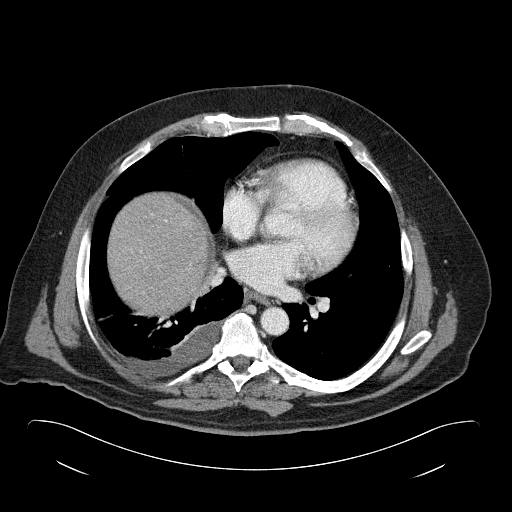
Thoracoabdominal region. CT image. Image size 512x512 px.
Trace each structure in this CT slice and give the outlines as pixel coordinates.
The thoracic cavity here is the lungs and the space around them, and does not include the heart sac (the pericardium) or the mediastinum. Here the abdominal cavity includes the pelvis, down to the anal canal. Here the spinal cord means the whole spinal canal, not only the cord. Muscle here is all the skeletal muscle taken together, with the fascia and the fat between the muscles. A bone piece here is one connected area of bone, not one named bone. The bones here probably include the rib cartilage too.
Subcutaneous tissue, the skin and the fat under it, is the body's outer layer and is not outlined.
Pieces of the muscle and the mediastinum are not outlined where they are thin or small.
Outlines:
torso: 278 83; 327 89; 371 110; 419 152; 454 198; 482 247; 492 287; 485 325; 463 375; 408 405; 365 421; 331 429; 258 436; 207 433; 142 420; 45 382; 1 383; 0 336; 11 283; 44 204; 78 147; 114 119; 161 98; 210 87
muscle: 215 111; 219 112; 215 114; 205 113; 195 121; 192 124; 193 133; 169 137; 155 146; 153 140; 146 139; 128 154; 116 169; 118 176; 106 191; 107 196; 97 210; 92 230; 89 226; 83 230; 76 256; 75 287; 79 312; 94 345; 99 350; 101 346; 90 323; 90 307; 95 325; 109 350; 130 372; 150 380; 172 378; 160 385; 171 387; 189 383; 194 375; 215 367; 231 380; 236 393; 248 380; 270 370; 276 374; 270 373; 267 379; 275 385; 282 379; 291 386; 324 394; 342 393; 361 384; 383 365; 396 348; 406 325; 405 312; 394 322; 404 292; 404 274; 406 277; 412 274; 411 242; 406 229; 399 226; 391 197; 392 188; 367 150; 360 148; 345 133; 309 114; 275 114; 303 111; 332 122; 366 146; 375 162; 387 174; 452 286; 458 312; 455 338; 416 376; 373 398; 337 405; 297 405; 273 417; 244 405; 204 411; 163 407; 136 395; 78 377; 52 360; 27 349; 24 337; 42 290; 105 170; 119 156; 155 131; 183 118 with a hole at 421 330; 429 330; 431 332; 431 337; 425 343; 424 343; 421 346; 420 346; 417 349; 416 349; 414 351; 413 351; 410 353; 408 353; 407 354; 401 354; 400 353; 400 350; 402 348; 402 347; 414 335; 415 335; 418 332; 419 332
mediastinum 1: 221 227; 224 264; 240 283; 258 294; 273 296; 281 300; 308 282; 304 286; 308 295; 306 297; 284 302; 281 305; 289 318; 289 327; 271 342; 274 354; 262 340; 252 317; 244 311; 237 310; 242 305; 243 288; 218 266; 213 235
mediastinum 2: 258 131; 292 133; 299 136; 321 134; 331 137; 336 140; 334 143; 345 170; 331 157; 322 153; 312 150; 288 150; 266 157; 248 167; 229 185; 224 193; 224 186; 228 178; 233 178; 241 172; 265 148; 279 144; 279 141; 273 135
bones 1: 236 311; 251 317; 274 355; 325 381; 360 368; 403 314; 406 320; 389 357; 351 389; 324 393; 282 378; 275 384; 268 377; 277 373; 270 369; 236 392; 232 380; 215 366; 194 374; 189 382; 161 386; 205 360; 220 340; 224 320, around a hole outlined by 238 355; 242 355; 243 356; 245 356; 247 358; 248 358; 250 361; 250 363; 249 364; 249 365; 246 368; 246 369; 245 370; 244 370; 243 371; 241 371; 240 372; 237 371; 235 369; 235 368; 232 364; 232 359; 234 357; 235 357
bones 2: 220 112; 243 117; 281 116; 284 113; 306 114; 323 121; 345 134; 360 149; 366 150; 390 186; 391 194; 354 157; 342 141; 327 133; 299 135; 292 132; 248 130; 226 136; 195 134; 193 125; 195 122; 198 122; 205 114; 215 115
bones 3: 87 227; 89 227; 91 229; 90 248; 89 249; 89 264; 88 265; 88 285; 90 296; 90 306; 88 313; 89 318; 88 319; 92 331; 99 343; 100 349; 92 341; 85 327; 80 312; 77 297; 77 288; 76 287; 77 256; 83 232
bones 4: 146 140; 151 140; 153 141; 154 143; 154 146; 153 148; 144 156; 143 156; 137 161; 133 163; 125 170; 124 170; 119 175; 118 175; 117 174; 117 169; 119 167; 122 161; 128 155; 129 155; 132 152; 133 152; 142 143; 143 143
bones 5: 400 228; 403 228; 405 229; 405 231; 407 234; 407 236; 409 239; 410 245; 411 246; 411 255; 412 256; 412 269; 411 270; 411 274; 409 276; 406 276; 405 275; 403 268; 402 267; 402 260; 401 259; 401 235; 400 234
bones 6: 421 330; 429 330; 431 332; 431 337; 425 343; 424 343; 421 346; 420 346; 417 349; 416 349; 414 351; 413 351; 410 353; 408 353; 407 354; 401 354; 400 353; 400 350; 402 348; 402 347; 414 335; 415 335; 418 332; 419 332
pericardium: 288 151; 312 151; 322 154; 331 158; 345 171; 357 202; 359 226; 351 250; 337 267; 320 277; 302 283; 287 297; 277 299; 273 295; 258 293; 240 282; 228 270; 222 246; 224 233; 222 229; 223 206; 226 190; 248 168; 266 158
abdominal cavity: 156 191; 174 192; 193 200; 205 219; 209 231; 213 234; 212 239; 214 242; 217 265; 213 267; 208 278; 196 295; 181 309; 163 315; 148 317; 132 313; 130 308; 122 301; 114 289; 107 266; 107 244; 114 218; 123 206; 136 196
thoracic cavity 1: 248 131; 269 134; 278 144; 225 180; 216 233; 194 200; 174 191; 136 195; 113 218; 107 272; 132 314; 149 318; 181 310; 216 266; 243 292; 205 359; 174 377; 142 377; 110 350; 92 313; 89 265; 98 210; 113 182; 167 139
thoracic cavity 2: 337 140; 349 149; 391 198; 399 227; 403 292; 393 325; 376 352; 351 373; 325 380; 313 377; 282 360; 275 354; 272 342; 290 327; 290 318; 282 305; 306 298; 309 295; 306 284; 337 268; 352 250; 358 235; 359 205; 335 143
spinal cord: 238 355; 242 355; 243 356; 245 356; 247 358; 248 358; 250 361; 250 363; 249 364; 249 365; 246 368; 246 369; 245 370; 244 370; 243 371; 241 371; 240 372; 237 371; 235 369; 235 368; 232 364; 232 359; 234 357; 235 357